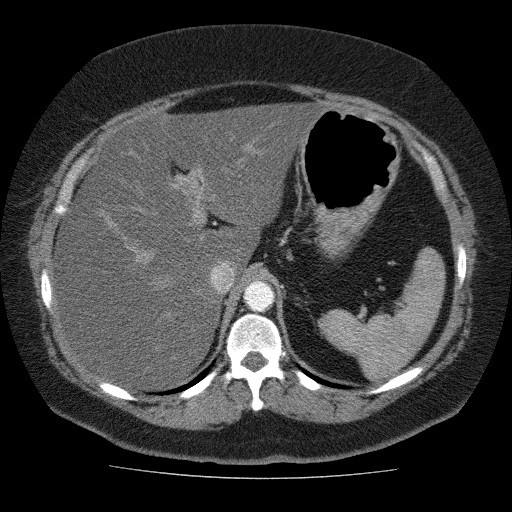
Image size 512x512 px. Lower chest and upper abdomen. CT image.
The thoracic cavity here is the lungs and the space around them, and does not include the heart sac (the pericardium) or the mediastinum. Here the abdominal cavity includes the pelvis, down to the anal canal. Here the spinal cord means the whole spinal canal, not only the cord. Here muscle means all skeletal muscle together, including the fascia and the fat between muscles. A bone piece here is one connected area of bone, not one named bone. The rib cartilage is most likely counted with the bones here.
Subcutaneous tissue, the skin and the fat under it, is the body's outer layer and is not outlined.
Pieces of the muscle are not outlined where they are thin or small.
{"bones":[{"outer":[[246,313],[257,313],[274,321],[289,357],[288,361],[284,358],[279,361],[287,372],[284,383],[275,377],[267,377],[262,382],[259,397],[263,406],[256,411],[250,407],[252,393],[243,378],[233,378],[224,388],[220,377],[229,367],[224,348],[230,326]],"hole":[[251,352],[253,353],[258,353],[260,354],[266,360],[266,363],[264,365],[263,365],[257,370],[255,370],[254,371],[253,370],[251,370],[249,368],[248,368],[246,366],[242,364],[242,361],[243,359],[249,353]]},[[84,154],[88,155],[87,161],[83,167],[79,177],[74,184],[71,197],[69,202],[67,204],[67,209],[63,215],[59,215],[53,211],[53,208],[56,204],[56,201],[58,197],[58,192],[62,185],[65,175],[69,170],[71,165],[80,156]],[[414,141],[424,146],[435,157],[442,170],[442,172],[444,175],[447,184],[447,194],[444,197],[444,201],[443,202],[440,200],[436,193],[433,182],[431,179],[430,174],[428,171],[428,169],[424,160],[420,154],[414,149],[414,147],[412,145],[412,142]],[[415,366],[423,366],[424,368],[415,378],[409,381],[407,383],[405,383],[398,387],[396,387],[386,391],[383,391],[379,393],[376,393],[375,394],[366,394],[365,393],[366,391],[370,390],[373,388],[375,388],[385,383],[388,380],[401,374],[406,370]],[[220,362],[224,362],[224,366],[221,369],[220,373],[213,379],[211,383],[207,387],[206,387],[200,393],[193,395],[188,398],[186,398],[185,399],[183,398],[179,398],[178,396],[178,393],[179,392],[194,385],[200,381],[205,377],[218,363]],[[43,268],[46,268],[47,269],[47,271],[48,272],[48,275],[49,276],[49,280],[50,281],[50,284],[51,285],[51,300],[52,301],[52,312],[50,312],[46,308],[42,300],[42,298],[41,297],[41,279],[40,278],[41,277],[41,272]],[[459,243],[462,243],[465,249],[465,253],[466,254],[466,271],[465,272],[465,278],[464,279],[464,281],[462,285],[460,287],[457,287],[455,288],[455,287],[456,287],[458,285],[458,278],[456,275],[456,261],[457,260],[457,245]],[[100,381],[105,381],[106,382],[111,383],[116,386],[118,386],[126,390],[132,395],[135,396],[137,398],[137,400],[135,401],[134,400],[127,400],[122,398],[118,398],[115,396],[113,396],[110,394],[108,394],[104,392],[98,385],[98,383]],[[293,368],[298,368],[306,375],[307,375],[315,381],[323,385],[323,387],[317,390],[311,390],[301,385],[299,383],[298,381],[298,379],[296,377],[296,376],[292,372],[292,369]]],"spinal_cord":[[[251,352],[253,353],[258,353],[260,354],[266,360],[266,363],[264,365],[263,365],[257,370],[255,370],[254,371],[253,370],[251,370],[249,368],[248,368],[246,366],[242,364],[242,361],[243,359],[249,353]]],"muscle":[{"outer":[[238,79],[310,85],[363,97],[387,107],[440,147],[455,168],[471,204],[478,261],[471,280],[471,327],[463,349],[432,378],[362,419],[317,423],[262,409],[263,382],[267,378],[275,378],[281,384],[287,381],[288,372],[280,361],[290,360],[288,352],[297,367],[291,372],[301,386],[311,391],[324,386],[375,387],[364,393],[375,395],[412,381],[425,368],[416,365],[444,330],[454,288],[460,288],[465,281],[466,249],[462,242],[456,245],[456,260],[443,205],[448,184],[438,160],[424,145],[411,142],[424,166],[402,134],[387,122],[285,88],[236,85],[211,89],[119,128],[101,144],[82,173],[89,158],[87,153],[70,165],[52,208],[61,216],[52,254],[53,298],[61,333],[77,361],[103,380],[97,383],[101,390],[135,402],[138,398],[131,392],[160,396],[177,393],[179,399],[185,400],[200,394],[219,375],[224,389],[233,379],[246,382],[251,393],[249,407],[254,411],[217,430],[159,426],[89,394],[67,380],[49,361],[40,330],[26,240],[43,189],[66,153],[94,128],[128,108],[171,92]],"hole":[[43,268],[46,268],[47,269],[47,271],[48,272],[48,275],[49,276],[49,280],[50,281],[50,284],[51,285],[51,300],[52,301],[52,312],[50,312],[46,308],[42,300],[42,298],[41,297],[41,279],[40,278],[41,277],[41,272]]},[[223,350],[224,350],[223,351],[225,355],[225,358],[226,359],[227,358],[228,360],[228,367],[227,369],[226,369],[221,373],[222,369],[225,366],[225,362],[224,361],[220,361],[218,362],[216,364],[216,365],[214,367],[213,367],[215,365],[218,357]]],"abdominal_cavity":[[[236,86],[285,89],[387,123],[427,169],[449,222],[455,281],[443,330],[414,366],[356,388],[296,364],[283,343],[276,291],[263,277],[243,288],[215,363],[171,389],[130,392],[87,369],[71,351],[55,304],[53,254],[76,182],[119,129],[185,98]]],"mediastinum":[[[254,278],[263,278],[271,283],[271,285],[273,286],[273,289],[275,291],[275,313],[278,326],[273,319],[257,312],[246,312],[237,317],[232,322],[237,312],[240,299],[242,297],[242,292],[244,291],[244,288],[246,287],[248,282]]],"thoracic_cavity":[[[214,362],[214,365],[212,367],[211,370],[205,376],[194,384],[178,392],[175,392],[174,393],[163,394],[162,395],[159,394],[153,394],[158,392],[163,392],[167,390],[171,390],[174,388],[186,384],[195,378],[196,376],[206,368],[209,367]],[[297,365],[324,380],[326,380],[330,382],[333,382],[334,383],[337,383],[338,384],[341,384],[342,385],[345,385],[346,386],[349,386],[352,388],[338,388],[337,387],[331,387],[327,385],[324,385],[306,374],[303,371],[302,371],[297,366]]],"torso":[[[215,23],[297,24],[387,44],[422,61],[472,119],[501,183],[511,239],[511,272],[504,316],[489,360],[452,417],[382,449],[338,460],[230,465],[123,449],[58,416],[38,390],[10,327],[0,272],[4,208],[22,151],[57,94],[102,51],[164,30]]]}